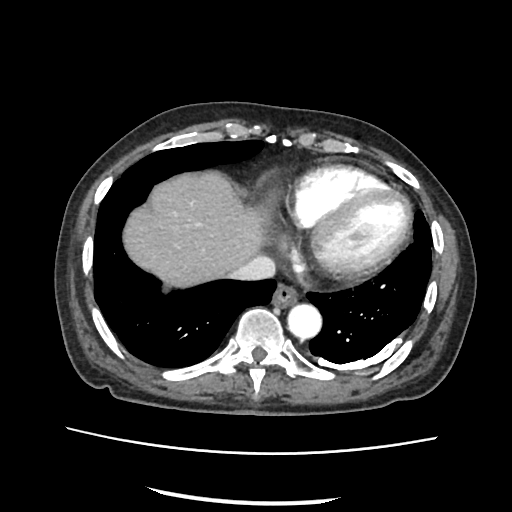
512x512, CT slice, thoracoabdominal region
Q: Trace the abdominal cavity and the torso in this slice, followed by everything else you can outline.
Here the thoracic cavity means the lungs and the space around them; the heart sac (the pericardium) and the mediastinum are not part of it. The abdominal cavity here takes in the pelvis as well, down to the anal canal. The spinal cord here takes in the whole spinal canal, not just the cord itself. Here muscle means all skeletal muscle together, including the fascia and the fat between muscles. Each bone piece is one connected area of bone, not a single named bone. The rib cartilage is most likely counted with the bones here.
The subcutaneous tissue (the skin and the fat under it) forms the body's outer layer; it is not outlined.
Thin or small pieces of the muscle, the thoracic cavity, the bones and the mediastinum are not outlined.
A: abdominal cavity: (165, 294) (174, 289) (186, 289) (217, 279) (249, 280) (265, 261) (265, 256) (271, 249) (270, 241) (254, 207) (252, 186) (243, 178) (243, 172) (237, 168) (223, 165) (171, 176) (154, 185) (146, 199) (129, 213) (121, 234) (123, 247) (138, 267) (161, 282) (161, 291)
torso: (258, 416) (361, 411) (433, 390) (457, 357) (475, 301) (477, 272) (468, 229) (430, 169) (397, 138) (372, 123) (330, 111) (250, 101) (176, 106) (148, 118) (113, 143) (69, 196) (54, 260) (54, 295) (64, 346) (80, 378) (94, 388) (106, 388) (117, 399) (184, 411)
spinal cord: (257, 361) (259, 361) (260, 360) (261, 360) (266, 355) (266, 352) (260, 346) (257, 346) (252, 351) (252, 355) (253, 356) (253, 357) (254, 358) (254, 359) (255, 360) (256, 360)
mediastinum 1: (300, 349) (307, 349) (309, 341) (320, 331) (322, 326) (322, 316) (305, 295) (310, 290) (287, 278) (276, 262) (266, 260) (256, 270) (254, 277) (250, 280) (273, 278) (277, 285) (270, 302) (265, 306) (256, 306) (262, 306) (269, 309) (282, 323) (286, 336)
mediastinum 2: (425, 215) (413, 189) (382, 163) (365, 154) (326, 153) (295, 145) (285, 147) (254, 137) (249, 138) (265, 142) (263, 149) (248, 160) (227, 165) (243, 171) (244, 178) (252, 185) (268, 165) (280, 159) (295, 155) (353, 156) (406, 184) (414, 196) (415, 210) (420, 209)
bones 1: (254, 399) (258, 397) (261, 380) (266, 367) (270, 365) (282, 367) (290, 377) (304, 375) (329, 380) (336, 376) (306, 359) (285, 336) (279, 320) (262, 307) (245, 310) (226, 345) (207, 359) (160, 373) (170, 381) (187, 379) (208, 371) (231, 374) (243, 362) (249, 366) with a hole at (257, 361) (259, 361) (260, 360) (261, 360) (266, 355) (266, 352) (260, 346) (257, 346) (252, 351) (252, 355) (253, 356) (253, 357) (254, 358) (254, 359) (255, 360) (256, 360)
bones 2: (152, 152) (162, 149) (184, 146) (197, 142) (219, 141) (223, 140) (226, 136) (230, 140) (246, 139) (250, 135) (260, 134) (262, 128) (257, 124) (248, 127) (239, 123) (228, 122) (223, 126) (222, 129) (219, 130) (203, 132) (192, 131) (175, 135) (156, 144) (152, 147)
bones 3: (345, 153) (350, 152) (358, 153) (360, 151) (360, 148) (358, 146) (333, 138) (327, 138) (318, 141) (315, 132) (308, 132) (301, 134) (294, 141) (288, 138) (281, 139) (281, 143) (285, 146) (290, 146) (294, 142) (297, 142) (305, 147) (319, 146) (322, 151) (326, 152)
bones 4: (122, 359) (124, 359) (125, 357) (124, 355) (127, 352) (127, 351) (118, 342) (108, 327) (98, 307) (95, 305) (94, 306) (93, 305) (91, 305) (90, 307) (91, 308) (91, 315) (92, 316) (92, 319) (99, 334) (105, 343) (110, 348) (110, 349) (116, 355)
bones 5: (370, 380) (375, 380) (376, 379) (378, 379) (386, 375) (392, 370) (396, 368) (405, 359) (405, 358) (410, 352) (412, 348) (412, 346) (414, 343) (414, 339) (412, 338) (410, 339) (407, 339) (393, 354) (392, 354) (384, 361) (380, 369) (376, 373) (372, 375) (370, 378)
bones 6: (415, 190) (417, 190) (420, 188) (420, 184) (418, 180) (411, 172) (405, 168) (402, 167) (400, 165) (394, 162) (392, 162) (389, 160) (384, 160) (383, 161) (383, 164) (385, 166) (389, 168) (394, 174) (395, 174) (398, 177) (399, 177) (402, 180) (411, 186)
bones 7: (86, 276) (91, 276) (92, 275) (92, 260) (93, 259) (93, 236) (91, 234) (89, 234) (86, 237) (86, 238) (85, 239) (85, 240) (84, 241) (84, 242) (83, 243) (83, 247) (82, 248) (82, 267) (83, 268) (83, 271) (84, 272) (84, 273) (85, 274) (85, 275)
bones 8: (439, 254) (441, 254) (442, 252) (442, 250) (443, 249) (443, 234) (442, 233) (442, 230) (441, 229) (441, 227) (439, 223) (437, 221) (437, 220) (435, 219) (433, 219) (430, 222) (430, 228) (431, 229) (431, 234) (432, 235) (432, 240) (433, 241) (433, 248) (434, 250)
bones 9: (428, 314) (429, 313) (430, 313) (430, 312) (433, 308) (433, 306) (435, 303) (436, 296) (437, 295) (437, 283) (435, 280) (431, 280) (429, 282) (429, 283) (427, 286) (427, 289) (426, 290) (425, 297) (424, 298) (424, 300) (423, 301) (423, 303) (422, 304) (422, 307)
bones 10: (95, 205) (99, 205) (100, 202) (102, 200) (102, 199) (106, 194) (107, 191) (109, 189) (110, 186) (112, 184) (114, 180) (114, 178) (112, 175) (109, 175) (105, 178) (104, 178) (101, 181) (98, 187) (96, 189) (96, 191) (94, 195) (94, 199) (93, 200) (93, 202)
muscle: (227, 405) (335, 404) (336, 403) (342, 403) (349, 401) (365, 400) (372, 396) (407, 384) (426, 374) (434, 366) (439, 358) (441, 351) (445, 344) (450, 330) (453, 314) (455, 311) (456, 296) (458, 292) (459, 254) (457, 248) (457, 242) (455, 237) (455, 231) (448, 219) (436, 205) (434, 199) (431, 196) (430, 191) (427, 187) (413, 173) (411, 169) (404, 163) (378, 148) (362, 143) (351, 137) (339, 134) (329, 130) (317, 129) (307, 126) (270, 125) (267, 123) (249, 120) (248, 119) (243, 119) (242, 118) (224, 118) (216, 121) (210, 121) (209, 122) (193, 124) (176, 131) (172, 131) (164, 134) (161, 134) (143, 144) (138, 145) (134, 149) (119, 158) (113, 164) (107, 168) (92, 184) (91, 187) (86, 193) (78, 209) (78, 213) (75, 220) (74, 227) (72, 230) (72, 234) (70, 240) (69, 259) (68, 260) (69, 306) (71, 310) (71, 315) (73, 319) (73, 324) (75, 328) (77, 338) (86, 358) (94, 367) (97, 368) (101, 372) (103, 372) (107, 375) (119, 380) (124, 384) (134, 389) (146, 391) (156, 395) (169, 397) (179, 400) (198, 401) (205, 403) (218, 403); inner edge: (254, 399) (270, 365) (290, 377) (323, 380) (375, 380) (396, 368) (412, 348) (407, 338) (422, 309) (428, 314) (435, 303) (431, 249) (441, 254) (443, 234) (437, 220) (425, 217) (418, 180) (400, 165) (359, 154) (348, 142) (318, 141) (315, 132) (280, 144) (273, 133) (249, 138) (261, 133) (257, 124) (228, 122) (175, 135) (117, 179) (104, 178) (82, 267) (94, 278) (92, 319) (116, 355) (129, 352) (163, 367) (170, 381) (231, 374) (243, 362)
pericardium: (314, 291) (332, 291) (353, 287) (379, 273) (405, 249) (411, 241) (413, 215) (416, 207) (411, 191) (406, 185) (392, 180) (365, 161) (343, 155) (291, 157) (274, 162) (256, 178) (253, 183) (255, 207) (272, 245) (272, 249) (268, 252) (266, 258) (276, 261) (287, 277)
thoracic cavity 1: (164, 368) (197, 363) (222, 348) (239, 315) (267, 304) (276, 284) (273, 279) (217, 280) (165, 295) (160, 282) (127, 257) (120, 239) (125, 219) (159, 181) (248, 159) (262, 149) (261, 140) (204, 142) (151, 153) (114, 181) (99, 206) (93, 260) (96, 302) (128, 352)
thoracic cavity 2: (355, 376) (370, 376) (377, 371) (411, 333) (422, 310) (421, 304) (431, 271) (432, 241) (429, 223) (420, 210) (414, 215) (414, 242) (372, 280) (353, 289) (331, 293) (309, 291) (306, 294) (322, 314) (323, 326) (310, 341) (307, 350) (297, 349) (318, 366) (339, 375)